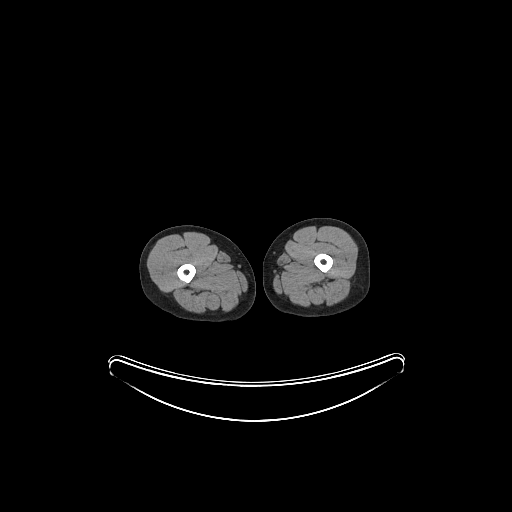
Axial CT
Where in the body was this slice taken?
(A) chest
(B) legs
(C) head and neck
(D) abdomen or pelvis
(B) legs
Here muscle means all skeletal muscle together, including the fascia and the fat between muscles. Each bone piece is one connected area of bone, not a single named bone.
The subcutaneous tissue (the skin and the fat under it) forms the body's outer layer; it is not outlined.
Outlines (x, y in pixels):
bones 1: 318,253 326,253 327,254 330,255 332,257 332,258 333,259 333,263 332,264 332,266 330,268 330,269 328,271 327,271 326,272 323,272 322,271 321,271 315,265 315,264 313,261 313,260 314,259 314,257
bones 2: 184,263 191,263 193,264 196,270 194,276 189,282 184,282 182,281 178,277 177,275 177,273 176,272 177,271 177,269 178,267 180,265
left leg: 314,217 331,217 342,220 353,226 362,235 367,244 369,251 370,287 369,291 364,299 354,308 335,315 323,317 309,317 308,318 283,313 276,309 270,303 263,289 262,263 264,256 270,244 278,234 296,222
muscle 1: 185,231 201,231 216,238 222,242 230,250 242,266 248,278 248,289 241,302 234,309 216,316 205,316 186,311 170,301 164,296 151,280 147,269 146,261 152,245 158,239 166,235 176,232 184,232; inner edge: 184,263 191,263 193,264 196,270 194,276 189,282 184,282 182,281 178,277 177,275 177,273 176,272 177,271 177,269 178,267 180,265
muscle 2: 316,224 333,224 343,229 355,240 358,247 358,256 356,262 356,271 354,279 353,293 345,300 328,308 306,308 294,305 290,302 284,300 277,294 270,282 270,276 273,265 273,260 276,251 284,237 299,228 with a hole at 318,253 326,253 327,254 330,255 332,257 332,258 333,259 333,263 332,264 332,266 330,268 330,269 328,271 327,271 326,272 323,272 322,271 321,271 315,265 315,264 313,261 313,260 314,259 314,257
right leg: 182,224 203,226 223,234 239,247 249,261 255,277 256,296 254,303 249,311 239,319 234,321 225,322 200,322 180,319 174,317 152,304 143,293 139,278 138,267 140,255 145,244 152,236 159,231 171,226